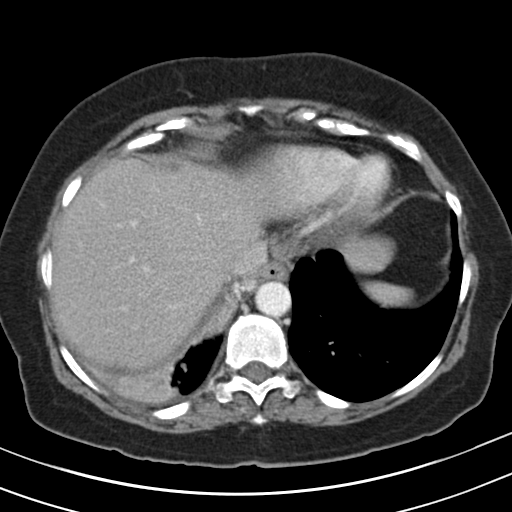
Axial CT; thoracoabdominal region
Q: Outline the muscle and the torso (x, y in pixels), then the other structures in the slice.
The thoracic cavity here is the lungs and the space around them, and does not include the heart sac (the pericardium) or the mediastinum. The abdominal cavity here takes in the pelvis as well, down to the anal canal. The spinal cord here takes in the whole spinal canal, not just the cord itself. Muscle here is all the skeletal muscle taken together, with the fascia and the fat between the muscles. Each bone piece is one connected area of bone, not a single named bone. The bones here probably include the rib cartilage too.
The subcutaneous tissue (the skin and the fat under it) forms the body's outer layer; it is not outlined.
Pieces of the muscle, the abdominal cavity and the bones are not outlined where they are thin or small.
A: Outlined structures:
muscle: 267 96; 285 97; 286 98; 303 98; 304 99; 319 100; 324 102; 330 102; 340 107; 345 107; 351 109; 369 118; 372 117; 375 118; 407 132; 413 136; 420 143; 445 176; 455 185; 459 193; 462 195; 463 198; 462 201; 473 232; 476 256; 479 264; 479 275; 482 285; 470 331; 468 335; 468 340; 466 343; 465 352; 462 357; 448 371; 446 371; 439 375; 428 386; 414 397; 387 411; 361 421; 344 425; 329 425; 328 426; 270 425; 269 426; 260 426; 254 428; 250 427; 242 429; 220 429; 219 430; 211 429; 189 433; 167 433; 151 430; 140 425; 130 423; 112 417; 103 412; 89 400; 66 388; 57 380; 52 369; 48 347; 45 343; 45 337; 38 306; 38 296; 35 281; 35 264; 36 263; 36 253; 35 251; 37 242; 45 228; 46 219; 54 202; 54 198; 56 193; 64 179; 72 170; 84 160; 93 155; 98 149; 117 132; 132 121; 145 114; 157 110; 169 108; 173 106; 191 105; 203 102; 226 100; 232 97; 261 98; inner edges: 251 104; 263 106; 259 115; 273 113; 312 128; 318 127; 314 119; 298 121; 292 115; 298 108; 311 108; 318 118; 353 123; 388 144; 379 135; 398 134; 416 144; 422 156; 420 164; 433 186; 443 196; 449 190; 458 197; 462 212; 457 233; 462 258; 468 259; 471 267; 469 286; 439 350; 442 359; 424 381; 406 393; 390 397; 390 392; 366 401; 351 401; 346 408; 331 407; 320 401; 313 383; 302 380; 302 371; 293 371; 287 363; 281 371; 300 381; 300 390; 292 398; 283 396; 277 387; 267 392; 260 406; 242 390; 233 392; 231 401; 220 402; 212 391; 202 391; 219 372; 222 375; 216 382; 230 379; 233 370; 220 355; 207 379; 182 398; 191 403; 187 411; 175 418; 160 419; 149 409; 119 399; 98 383; 106 394; 97 392; 62 357; 59 345; 66 344; 56 326; 52 288; 47 289; 43 282; 40 261; 42 254; 52 249; 66 209; 62 197; 70 181; 77 175; 84 180; 123 153; 124 143; 170 118; 187 116; 195 125, then 257 413; 260 413; 266 419; 266 422; 265 422; 264 423; 262 423; 261 424; 256 424; 255 423; 253 423; 251 421; 251 420; 252 419; 252 418
torso: 305 50; 351 58; 425 96; 454 127; 493 192; 511 230; 511 305; 497 333; 492 377; 482 401; 434 435; 351 459; 278 468; 140 460; 38 425; 28 414; 17 358; 0 325; 0 233; 48 134; 84 97; 148 64; 196 55
thoracic cavity 1: 451 210; 457 220; 463 260; 455 312; 439 351; 405 384; 374 399; 349 401; 317 387; 302 372; 288 349; 287 333; 293 315; 289 287; 297 262; 321 250; 338 251; 357 288; 370 302; 385 310; 417 309; 439 294; 450 279; 453 248
thoracic cavity 2: 229 291; 235 293; 239 299; 239 303; 226 329; 224 355; 220 355; 217 358; 207 379; 194 392; 183 397; 179 402; 157 410; 145 409; 125 402; 96 382; 72 357; 72 355; 76 356; 96 372; 128 374; 155 370; 173 360; 184 351
mediastinum 1: 270 233; 302 243; 314 251; 317 249; 323 249; 324 248; 329 248; 342 237; 347 237; 339 251; 331 248; 326 248; 325 249; 321 249; 304 257; 301 257; 296 262; 289 278; 292 315; 286 336; 282 327; 273 318; 257 312; 240 314; 227 332; 240 303; 234 289; 235 278; 266 261; 270 255
mediastinum 2: 292 123; 317 128; 335 135; 369 136; 381 140; 393 146; 406 156; 420 164; 434 187; 416 187; 398 194; 401 190; 400 184; 402 181; 402 172; 398 162; 396 161; 396 158; 387 149; 370 143; 335 140; 315 134; 297 132; 292 129
spinal cord: 252 361; 257 361; 258 362; 261 362; 263 363; 271 370; 271 375; 267 377; 264 380; 263 380; 259 383; 255 383; 251 380; 250 380; 248 378; 242 375; 241 374; 241 370; 242 368; 249 362; 251 362
bones 1: 249 313; 273 319; 285 334; 299 370; 293 371; 287 363; 281 369; 300 381; 292 398; 277 387; 257 406; 242 390; 233 392; 227 402; 218 401; 210 390; 202 391; 219 372; 216 382; 230 379; 233 370; 224 362; 227 333; 240 315 with a hole at 252 361; 257 361; 258 362; 261 362; 263 363; 271 370; 271 375; 267 377; 264 380; 263 380; 259 383; 255 383; 251 380; 250 380; 248 378; 242 375; 241 374; 241 370; 242 368; 249 362; 251 362
bones 2: 301 107; 311 108; 315 110; 317 112; 317 117; 318 118; 328 117; 350 122; 360 127; 366 128; 376 134; 348 135; 347 134; 335 134; 325 131; 319 128; 314 123; 315 122; 314 119; 303 121; 296 120; 292 115; 292 113; 298 108
bones 3: 181 116; 187 116; 192 118; 194 121; 193 125; 185 127; 182 129; 166 130; 164 132; 165 136; 161 140; 140 148; 132 149; 129 151; 124 151; 122 146; 127 141; 134 138; 145 131; 151 131; 153 130; 155 126; 170 118; 180 117
bones 4: 439 352; 442 352; 443 353; 443 357; 442 359; 435 368; 435 369; 424 381; 423 381; 419 385; 418 385; 413 389; 408 391; 406 393; 404 393; 396 397; 390 397; 390 395; 392 392; 405 385; 408 382; 413 379; 420 372; 421 372
bones 5: 384 133; 398 134; 402 137; 406 139; 409 139; 414 143; 415 143; 419 151; 421 153; 421 155; 422 156; 421 162; 419 163; 417 161; 414 160; 409 156; 406 155; 402 151; 392 145; 387 140; 381 137; 379 135; 383 134
bones 6: 60 344; 64 345; 67 348; 72 356; 71 357; 75 361; 75 362; 97 384; 97 385; 102 390; 106 392; 106 394; 97 392; 95 390; 91 388; 88 385; 83 382; 71 370; 71 369; 68 366; 60 353; 60 351; 59 350; 59 345
bones 7: 186 400; 190 401; 191 403; 189 408; 185 413; 175 418; 170 418; 169 419; 160 419; 155 416; 153 416; 151 414; 151 412; 152 411; 157 411; 158 410; 169 407; 172 405; 174 405; 177 403; 179 403; 182 401; 185 401
bones 8: 48 248; 49 248; 51 250; 51 258; 52 259; 52 269; 51 270; 51 287; 50 289; 47 289; 47 288; 45 286; 43 282; 43 280; 42 279; 42 276; 41 275; 41 264; 40 263; 41 262; 40 261; 41 260; 41 256; 42 254
bones 9: 316 388; 318 388; 335 397; 340 398; 343 400; 348 401; 351 403; 350 405; 346 408; 336 408; 335 407; 331 407; 330 406; 328 406; 324 404; 322 402; 321 402; 320 400; 317 397; 317 396; 314 392; 314 390
bones 10: 464 259; 468 259; 471 267; 471 272; 472 273; 471 274; 471 277; 469 282; 469 286; 468 287; 465 298; 461 305; 460 306; 457 306; 458 304; 458 299; 459 298; 460 286; 461 285; 461 279; 462 278; 462 272; 463 271; 463 261
bones 11: 77 175; 80 175; 82 178; 82 180; 81 181; 81 184; 78 188; 77 191; 73 196; 72 199; 67 205; 67 206; 66 207; 63 207; 62 206; 62 197; 63 196; 64 191; 65 190; 66 187; 70 182; 70 181; 72 179; 73 179
bones 12: 445 190; 449 190; 451 192; 454 193; 458 197; 460 201; 460 203; 461 204; 461 208; 462 209; 462 212; 461 213; 461 217; 460 219; 457 219; 457 217; 456 215; 448 205; 446 201; 446 199; 444 196; 444 193; 445 192
abdominal cavity 1: 236 112; 248 117; 273 113; 291 122; 293 131; 237 134; 220 156; 249 213; 269 233; 269 255; 234 278; 234 291; 224 295; 173 359; 155 369; 96 371; 71 353; 54 319; 52 244; 66 208; 82 181; 112 158; 155 144; 176 130
abdominal cavity 2: 416 188; 435 188; 444 197; 450 209; 449 223; 452 248; 450 256; 449 279; 439 293; 431 300; 417 308; 385 309; 370 301; 360 291; 346 267; 344 257; 340 252; 340 248; 346 241; 346 238; 375 215; 378 210; 391 203; 396 196
pericardium: 265 131; 304 133; 335 141; 370 144; 383 148; 395 158; 399 166; 401 172; 400 190; 391 202; 378 209; 375 214; 354 232; 347 236; 342 236; 329 247; 314 250; 302 242; 267 232; 250 213; 232 175; 221 160; 224 147; 237 135